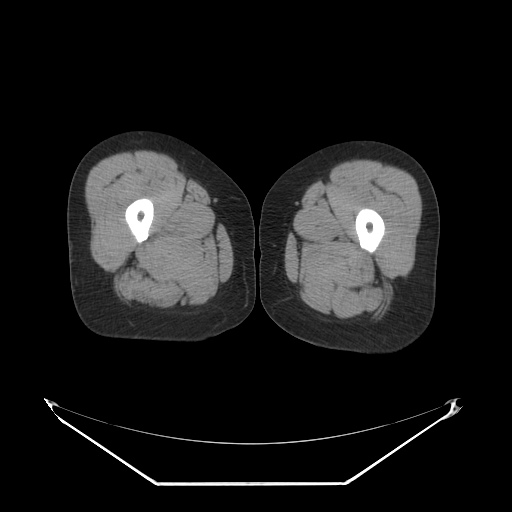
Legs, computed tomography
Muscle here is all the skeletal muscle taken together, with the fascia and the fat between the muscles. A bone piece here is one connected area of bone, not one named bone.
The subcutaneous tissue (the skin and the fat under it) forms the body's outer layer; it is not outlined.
{"right_leg":[[[136,129],[165,132],[193,145],[215,162],[236,182],[246,195],[251,206],[255,227],[255,303],[253,309],[236,327],[201,342],[178,343],[102,337],[90,331],[82,323],[74,307],[69,280],[66,227],[67,196],[73,172],[83,155],[96,143],[113,134]]],"muscle":[{"outer":[[135,149],[147,149],[165,153],[177,158],[191,168],[200,180],[214,192],[229,227],[234,244],[232,273],[220,295],[205,310],[196,314],[176,315],[126,306],[115,295],[107,276],[91,257],[89,249],[90,218],[84,197],[88,172],[98,161],[109,155]],"hole":[[142,197],[149,198],[152,201],[153,203],[153,219],[149,229],[149,234],[148,235],[148,237],[145,240],[139,243],[136,241],[134,236],[131,233],[125,221],[125,216],[124,215],[124,213],[125,212],[125,209],[126,207],[131,202],[138,198],[141,198]]},{"outer":[[351,158],[377,158],[397,163],[408,168],[416,176],[422,201],[421,223],[416,238],[416,253],[413,268],[402,282],[388,314],[378,321],[361,324],[331,323],[311,316],[298,304],[288,284],[284,269],[285,230],[295,198],[304,185],[328,165],[337,160]],"hole":[[364,207],[371,208],[375,210],[382,217],[384,222],[384,225],[385,226],[385,231],[381,239],[381,241],[379,243],[376,249],[371,253],[367,250],[363,249],[360,246],[359,241],[358,240],[358,237],[355,230],[355,217],[356,216],[356,214],[360,209]]}],"bones":[[[364,207],[371,208],[375,210],[382,217],[384,222],[384,225],[385,226],[385,231],[381,239],[381,241],[379,243],[376,249],[371,253],[367,250],[363,249],[360,246],[359,241],[358,240],[358,237],[355,230],[355,217],[356,216],[356,214],[360,209]],[[142,197],[149,198],[152,201],[153,203],[153,219],[149,229],[149,234],[148,235],[148,237],[145,240],[139,243],[136,241],[134,236],[131,233],[125,221],[125,216],[124,215],[124,213],[125,212],[125,209],[126,207],[131,202],[138,198],[141,198]]],"left_leg":[[[354,139],[370,139],[389,143],[413,156],[427,172],[439,206],[440,237],[436,268],[435,307],[432,319],[417,340],[404,349],[387,355],[332,350],[296,338],[279,327],[268,316],[259,295],[258,229],[261,206],[267,191],[286,169],[308,154],[333,143]]]}